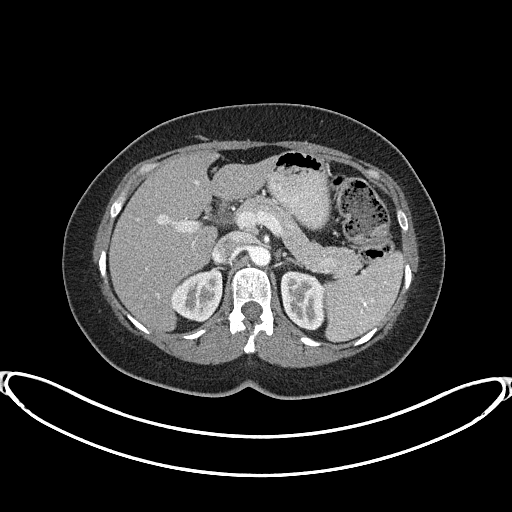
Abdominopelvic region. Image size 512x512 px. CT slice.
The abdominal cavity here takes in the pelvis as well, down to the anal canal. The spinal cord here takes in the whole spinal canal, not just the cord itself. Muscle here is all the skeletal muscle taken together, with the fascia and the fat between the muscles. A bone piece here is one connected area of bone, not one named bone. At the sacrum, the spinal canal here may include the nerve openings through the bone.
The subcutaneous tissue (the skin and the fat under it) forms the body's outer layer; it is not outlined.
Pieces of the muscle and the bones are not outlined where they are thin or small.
{"abdominal_cavity":[[[330,343],[353,341],[376,326],[403,284],[401,230],[391,198],[377,183],[324,157],[261,146],[169,160],[128,195],[110,234],[107,273],[120,303],[146,327],[185,333],[204,324],[231,292],[233,274],[250,265],[267,273],[290,322],[305,335]]],"bones":[{"outer":[[246,353],[254,352],[254,338],[257,333],[260,330],[263,330],[270,335],[274,325],[274,318],[270,307],[271,287],[269,279],[264,271],[250,266],[242,268],[234,274],[231,284],[233,308],[227,316],[231,333],[246,329],[249,330],[248,339],[243,349]],"hole":[[252,321],[253,320],[257,320],[258,319],[258,317],[259,316],[259,315],[261,312],[261,307],[257,303],[251,301],[250,302],[247,302],[246,303],[245,303],[243,305],[243,306],[242,307],[242,312],[246,317],[246,319],[247,319],[248,320],[251,320]]},[[112,219],[113,219],[117,215],[117,214],[121,209],[121,207],[123,205],[123,204],[126,199],[126,197],[127,196],[127,195],[126,194],[126,191],[125,190],[124,190],[121,192],[121,193],[119,195],[119,196],[113,202],[113,203],[110,208],[110,217]],[[403,231],[406,231],[408,228],[408,224],[407,223],[407,218],[406,217],[406,216],[405,215],[404,212],[401,209],[400,209],[399,208],[397,208],[396,209],[396,217],[397,218],[397,220],[398,221],[398,223],[399,224],[399,225],[400,226],[401,229]],[[105,280],[106,279],[106,263],[105,262],[105,250],[104,250],[103,249],[101,251],[101,253],[100,254],[100,257],[99,258],[99,262],[98,263],[98,265],[99,266],[99,270],[100,271],[100,274],[101,275],[101,276]],[[404,291],[405,291],[409,287],[409,285],[410,284],[410,283],[411,282],[411,270],[410,269],[410,267],[409,266],[409,265],[407,263],[406,263],[406,264],[405,265],[405,274],[404,275],[404,284],[403,285],[403,289],[404,290]],[[354,345],[358,345],[359,344],[361,344],[362,343],[365,342],[367,340],[368,340],[374,334],[374,333],[377,330],[377,328],[376,327],[373,328],[367,333],[366,333],[363,336],[362,336],[360,338],[359,338],[357,340],[356,340],[353,343],[353,344]],[[145,333],[149,333],[150,332],[150,331],[147,328],[146,328],[142,324],[141,324],[137,320],[136,320],[129,313],[128,313],[127,312],[126,312],[126,315],[127,316],[127,317],[130,320],[130,321],[137,328],[138,328],[139,329],[140,329]],[[312,346],[317,346],[318,345],[320,345],[321,344],[322,344],[322,342],[321,342],[320,341],[317,341],[316,340],[314,340],[313,339],[312,339],[307,336],[305,336],[304,335],[300,338],[300,340],[303,343],[304,343],[307,345],[311,345]],[[188,339],[192,339],[193,338],[197,338],[199,336],[200,336],[203,333],[204,333],[205,332],[205,329],[198,329],[197,330],[196,330],[195,331],[194,331],[191,333],[188,333],[187,334],[183,334],[182,335],[182,336],[184,338],[187,338]],[[382,180],[383,180],[383,179],[382,179],[380,177],[380,176],[379,175],[378,172],[377,172],[375,170],[374,170],[373,169],[369,169],[368,170],[369,173],[372,176],[373,176],[375,178],[376,178],[377,179],[381,179]]],"torso":[[[278,399],[317,397],[359,387],[385,376],[402,362],[425,331],[441,290],[445,244],[437,211],[397,147],[345,114],[307,104],[264,102],[220,106],[172,118],[122,149],[76,203],[65,228],[61,257],[70,311],[96,351],[131,377],[205,397],[252,387]]],"muscle":[{"outer":[[291,368],[314,367],[315,366],[327,364],[345,357],[352,356],[366,349],[378,340],[384,338],[392,329],[398,316],[404,308],[404,306],[413,286],[413,282],[415,279],[415,273],[418,270],[418,244],[414,231],[411,212],[408,205],[408,202],[401,187],[388,173],[379,167],[367,161],[356,158],[339,150],[330,147],[327,147],[323,145],[308,142],[307,141],[296,141],[295,140],[286,140],[285,141],[234,140],[233,141],[203,142],[202,143],[191,144],[179,148],[172,149],[160,153],[157,155],[154,155],[149,158],[144,159],[135,164],[123,176],[115,188],[105,208],[105,211],[103,214],[102,219],[99,224],[95,236],[95,240],[94,241],[94,245],[92,251],[93,261],[96,265],[98,271],[98,276],[100,280],[99,281],[99,284],[102,293],[120,323],[133,334],[142,337],[144,339],[151,342],[166,353],[184,361],[193,362],[198,364],[212,364],[214,365],[215,364],[219,364],[220,363],[231,361],[246,354],[247,355],[249,354],[254,354],[260,359],[268,363],[278,365],[281,367],[290,367]],"holes":[[[246,353],[254,352],[260,330],[268,335],[273,331],[273,287],[284,315],[304,333],[300,340],[307,345],[323,341],[358,345],[374,334],[401,288],[405,291],[411,282],[400,232],[407,230],[407,218],[377,183],[324,157],[261,146],[169,160],[113,202],[110,217],[115,220],[98,265],[105,280],[108,274],[130,321],[145,333],[155,329],[197,338],[205,329],[187,332],[209,321],[230,290],[229,328],[231,333],[249,330]],[[138,173],[144,173],[145,172],[147,172],[148,171],[149,171],[152,168],[153,168],[157,164],[157,163],[148,163],[147,164],[144,164],[139,169],[139,170],[138,171]],[[382,180],[383,180],[383,179],[382,179],[380,177],[380,176],[379,175],[378,172],[377,172],[375,170],[374,170],[373,169],[369,169],[368,170],[369,173],[372,176],[373,176],[375,178],[376,178],[377,179],[381,179]]]}],"spinal_cord":[[[252,321],[253,320],[257,320],[258,319],[258,317],[259,316],[259,315],[261,312],[261,307],[257,303],[251,301],[250,302],[247,302],[246,303],[245,303],[243,305],[243,306],[242,307],[242,312],[246,317],[246,319],[247,319],[248,320],[251,320]]]}